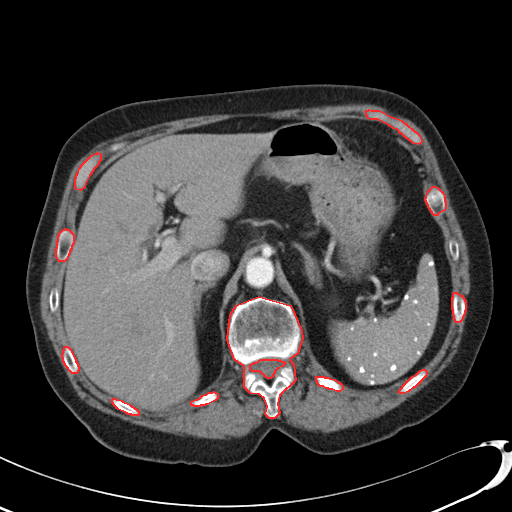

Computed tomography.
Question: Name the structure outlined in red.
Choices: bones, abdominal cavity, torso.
Answer: red: bones.
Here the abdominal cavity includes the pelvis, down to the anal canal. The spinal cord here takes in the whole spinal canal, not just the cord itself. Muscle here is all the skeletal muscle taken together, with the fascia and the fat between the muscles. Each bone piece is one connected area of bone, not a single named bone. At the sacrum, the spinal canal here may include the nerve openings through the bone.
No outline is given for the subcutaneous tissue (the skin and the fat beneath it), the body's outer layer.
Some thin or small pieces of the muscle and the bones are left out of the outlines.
The bones appear in 11 outlined pieces: piece 1: 258,296 290,305 301,330 302,338 297,353 289,359 293,364 295,380 279,395 277,403 279,413 274,418 269,418 265,414 267,406 264,398 259,394 250,393 244,387 244,366 234,359 227,339 230,314 236,305; inner edge: 261,359 277,359 278,360 280,360 281,361 283,361 285,363 282,366 277,368 274,371 274,373 270,378 267,378 261,372 260,372 259,371 252,371 250,369 250,365 252,363 253,363 254,362 256,362; piece 2: 369,109 371,110 379,110 392,117 394,117 401,120 418,134 421,140 420,143 419,144 413,143 407,138 406,138 401,133 400,133 397,129 393,128 389,125 377,119 370,119 368,118 366,115 366,110 368,110; piece 3: 98,152 100,154 100,160 98,162 97,165 93,169 93,170 89,175 85,183 84,187 80,190 76,189 75,188 75,178 76,177 76,175 78,172 79,168 81,166 81,165 91,155 95,153 97,153; piece 4: 65,228 66,229 68,229 73,234 73,243 71,246 71,248 69,251 69,253 68,254 66,259 64,261 59,261 56,257 56,248 57,247 57,241 58,240 58,235 59,234 59,233 63,229 64,229; piece 5: 433,186 435,186 437,187 442,192 444,196 444,200 445,201 445,208 444,210 438,213 437,215 434,215 432,213 432,212 428,207 428,205 425,200 425,198 426,197 426,195 428,191 430,189 430,188; piece 6: 454,292 456,292 460,295 461,295 463,297 463,298 465,301 465,310 464,311 463,316 462,317 461,320 459,322 456,322 455,321 455,320 454,319 454,316 453,315 453,310 452,309 452,297 453,296 453,293; piece 7: 65,346 67,346 70,349 70,350 75,359 75,361 77,363 77,365 78,366 78,370 76,373 72,373 68,369 68,368 65,365 65,364 63,361 63,358 62,357 62,354 63,353 63,350 64,349 64,347; piece 8: 422,369 424,369 426,371 426,374 425,376 419,382 419,383 418,383 414,387 413,387 408,391 404,393 400,393 399,392 399,390 402,387 402,386 412,376 416,374 420,370; piece 9: 316,376 323,376 324,377 328,377 329,378 334,379 338,382 339,382 341,384 342,386 342,389 339,391 336,391 332,389 329,389 328,388 326,388 323,386 320,386 317,383 317,381 316,380; piece 10: 213,391 217,393 217,398 215,400 207,404 205,404 204,405 200,405 199,406 194,406 193,405 191,405 191,401 195,399 197,399 199,398 202,395 204,394 206,394 209,392 212,392; piece 11: 113,398 115,398 116,399 121,400 122,401 129,404 131,406 132,406 134,408 135,408 138,411 138,415 132,415 131,414 128,414 127,413 126,413 125,412 118,409 113,404 113,403 112,402 112,399. The spinal cord is outlined by 261,359 277,359 278,360 280,360 281,361 283,361 285,363 282,366 277,368 274,371 274,373 270,378 267,378 261,372 260,372 259,371 252,371 250,369 250,365 252,363 253,363 254,362 256,362. The muscle is outlined by 348,103 374,104 410,120 424,133 436,157 469,257 467,315 457,352 447,366 415,394 365,423 322,432 302,430 275,418 280,413 280,395 296,380 290,359 300,343 333,378 316,375 320,387 339,392 343,384 368,391 409,378 398,390 404,394 426,376 423,368 441,348 453,316 456,323 462,320 466,301 453,292 445,237 436,218 446,208 445,196 435,185 426,194 424,164 410,144 419,145 422,140 409,125 370,108 365,110 367,118 234,116 169,131 108,162 96,174 84,189 74,232 65,227 57,235 55,257 64,265 59,290 50,289 48,305 52,313 59,310 67,342 61,354 64,365 72,374 79,368 118,410 138,416 138,410 160,414 190,401 194,407 207,405 218,398 216,391 196,398 223,373 231,354 243,366 243,387 263,398 268,418 241,437 199,438 134,424 82,400 40,313 42,277 57,210 75,163 102,141 166,121 with holes at 98,152 100,154 100,160 98,162 97,165 93,169 93,170 89,175 85,183 84,187 80,190 76,189 75,188 75,178 76,177 76,175 78,172 79,168 81,166 81,165 91,155 95,153 97,153 and at 452,238 454,238 457,241 457,242 458,243 458,248 459,249 459,257 458,258 458,259 457,260 454,260 452,258 452,257 451,256 451,255 450,254 450,252 449,251 449,241 450,240 450,239 451,239 and at 121,142 124,142 124,144 120,148 119,148 117,150 116,150 115,151 114,151 113,152 112,152 111,151 109,151 109,150 108,149 108,148 109,147 109,146 110,145 111,145 112,144 114,144 115,143 120,143. The abdominal cavity is outlined by 234,117 377,120 409,142 423,164 424,200 443,233 452,286 446,335 416,373 384,388 341,383 301,343 292,306 265,295 229,314 231,353 222,373 167,411 111,397 80,369 59,306 85,189 108,163 169,132. The torso is outlined by 312,83 370,86 408,98 433,122 466,181 485,225 493,267 491,318 467,379 425,421 339,454 315,453 276,429 248,459 229,467 158,463 114,452 90,434 48,383 27,308 28,258 61,147 85,122 122,104.